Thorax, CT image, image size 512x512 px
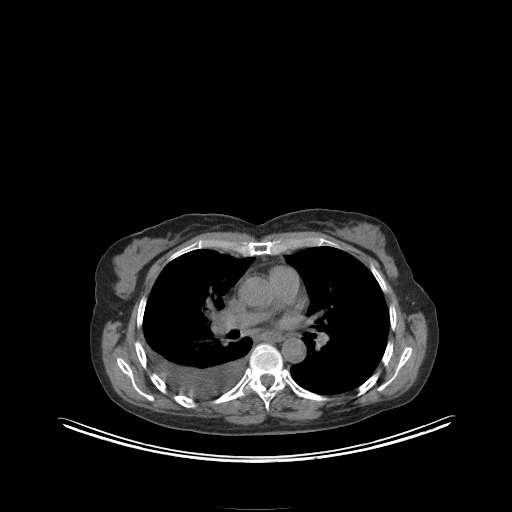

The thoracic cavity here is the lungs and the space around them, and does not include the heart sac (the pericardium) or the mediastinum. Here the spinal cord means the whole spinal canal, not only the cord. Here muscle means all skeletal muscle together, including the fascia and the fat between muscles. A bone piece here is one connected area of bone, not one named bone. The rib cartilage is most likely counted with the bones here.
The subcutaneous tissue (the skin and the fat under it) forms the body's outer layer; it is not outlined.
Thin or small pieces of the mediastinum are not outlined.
The bones appear in 12 outlined pieces: piece 1: (261, 343) (269, 344) (279, 351) (283, 366) (289, 370) (291, 377) (298, 385) (331, 399) (317, 401) (300, 397) (286, 386) (270, 400) (268, 410) (266, 410) (263, 400) (252, 390) (243, 397) (213, 404) (211, 402) (213, 399) (227, 392) (240, 380) (249, 365) (250, 351); inner edge: (264, 374) (268, 374) (269, 375) (271, 375) (273, 377) (273, 382) (269, 386) (265, 386) (262, 383) (262, 382) (261, 381) (261, 380) (260, 379) (260, 378) (261, 377) (261, 376) (262, 375) (263, 375); piece 2: (307, 236) (325, 238) (340, 245) (345, 250) (333, 246) (320, 245) (300, 247) (275, 254) (244, 256) (231, 251) (222, 251) (213, 248) (199, 248) (179, 255) (164, 266) (165, 261) (173, 253) (199, 239) (214, 238) (237, 242) (256, 242) (272, 241) (280, 238) (284, 239); piece 3: (118, 357) (122, 358) (129, 365) (132, 371) (132, 374) (136, 385) (142, 391) (147, 394) (151, 395) (154, 398) (152, 401) (150, 401) (144, 396) (137, 392) (137, 391) (133, 387) (131, 382) (131, 379) (126, 374) (125, 374) (118, 366) (117, 361) (116, 360); piece 4: (408, 346) (412, 348) (412, 351) (411, 352) (410, 356) (405, 362) (405, 363) (399, 369) (398, 373) (395, 377) (395, 378) (382, 390) (379, 391) (377, 389) (378, 387) (381, 384) (388, 380) (393, 375) (395, 371) (395, 369) (399, 362) (399, 359) (403, 350); piece 5: (378, 370) (379, 371) (380, 371) (380, 374) (379, 375) (379, 377) (376, 381) (376, 382) (369, 389) (368, 389) (364, 393) (363, 393) (359, 396) (356, 396) (356, 393) (357, 392) (356, 389) (360, 385) (361, 385) (368, 378) (369, 378) (374, 373) (374, 372) (375, 372); piece 6: (174, 394) (180, 394) (181, 395) (184, 395) (187, 397) (189, 397) (190, 398) (192, 398) (196, 402) (197, 405) (195, 407) (194, 407) (193, 408) (187, 408) (184, 406) (182, 406) (180, 404) (179, 404) (177, 402) (176, 402) (173, 399) (173, 398) (172, 397); piece 7: (136, 340) (139, 340) (140, 341) (145, 351) (145, 353) (146, 354) (146, 357) (147, 358) (147, 367) (146, 369) (145, 369) (142, 366) (141, 363) (138, 359) (138, 357) (136, 353) (136, 350) (135, 349) (135, 345) (134, 344); piece 8: (143, 295) (145, 295) (147, 297) (147, 299) (146, 300) (146, 304) (145, 305) (145, 308) (144, 309) (144, 313) (143, 314) (143, 320) (142, 321) (142, 325) (140, 328) (138, 328) (137, 327) (137, 311) (138, 310) (138, 306) (139, 305) (139, 302) (140, 301) (140, 299); piece 9: (152, 372) (154, 372) (162, 380) (163, 380) (165, 382) (165, 383) (166, 384) (166, 385) (167, 386) (167, 392) (166, 393) (163, 393) (161, 391) (160, 391) (154, 385) (154, 384) (151, 381) (151, 380) (150, 379) (150, 378) (149, 377) (149, 374) (150, 373) (151, 373); piece 10: (370, 263) (372, 263) (374, 265) (376, 269) (378, 270) (381, 276) (383, 278) (385, 282) (386, 287) (387, 288) (387, 291) (385, 293) (384, 293) (382, 291) (377, 280) (375, 278) (372, 272) (370, 270) (369, 268) (369, 264); piece 11: (388, 340) (392, 340) (393, 341) (393, 350) (392, 351) (392, 354) (387, 364) (385, 366) (383, 365) (383, 364) (381, 362) (381, 359) (385, 351) (385, 348) (386, 347) (386, 345) (387, 344) (387, 342); piece 12: (391, 303) (393, 303) (394, 304) (394, 306) (395, 307) (395, 313) (396, 314) (396, 322) (395, 323) (395, 329) (394, 330) (394, 331) (391, 330) (391, 329) (390, 328) (390, 317) (389, 316) (389, 309) (388, 308) (388, 306) (389, 305) (389, 304) (390, 304). The pericardium is outlined by (267, 262) (281, 262) (293, 267) (298, 272) (304, 284) (308, 298) (308, 303) (299, 321) (291, 327) (283, 329) (255, 328) (253, 329) (244, 327) (234, 320) (232, 314) (230, 313) (230, 310) (228, 309) (227, 302) (228, 299) (230, 298) (234, 287) (240, 279) (250, 269). The muscle is outlined by (217, 231) (233, 231) (234, 232) (247, 233) (255, 237) (258, 240) (263, 236) (277, 232) (317, 231) (327, 234) (336, 239) (345, 242) (361, 250) (375, 259) (378, 262) (380, 266) (380, 269) (392, 287) (398, 299) (398, 302) (400, 305) (401, 310) (407, 315) (416, 312) (422, 312) (426, 320) (426, 323) (427, 324) (426, 352) (424, 359) (419, 368) (417, 378) (414, 383) (407, 390) (398, 396) (388, 399) (384, 399) (370, 404) (358, 406) (349, 410) (344, 410) (338, 412) (326, 411) (322, 415) (314, 419) (310, 419) (309, 420) (289, 420) (285, 418) (280, 418) (279, 417) (275, 417) (268, 415) (260, 423) (247, 424) (246, 425) (244, 424) (236, 424) (229, 421) (226, 421) (222, 417) (206, 418) (205, 417) (182, 416) (181, 415) (167, 414) (162, 412) (154, 411) (141, 406) (134, 405) (124, 400) (114, 390) (106, 373) (102, 360) (101, 339) (102, 338) (102, 331) (106, 322) (109, 320) (111, 321) (120, 321) (122, 323) (122, 327) (125, 328) (127, 326) (127, 324) (129, 321) (135, 301) (142, 289) (143, 283) (149, 268) (164, 254) (194, 236) (206, 232) (216, 232) with holes at (307, 236) (340, 245) (368, 268) (372, 263) (385, 282) (383, 296) (388, 306) (394, 304) (396, 322) (387, 334) (392, 354) (385, 366) (380, 361) (376, 366) (376, 382) (359, 396) (355, 388) (331, 394) (329, 401) (297, 396) (286, 386) (268, 410) (252, 390) (217, 404) (195, 399) (193, 408) (176, 402) (169, 387) (160, 391) (149, 377) (154, 370) (148, 361) (146, 369) (142, 366) (134, 343) (146, 345) (137, 327) (138, 306) (165, 261) (199, 239) and at (118, 357) (122, 358) (129, 365) (132, 371) (132, 374) (136, 385) (142, 391) (147, 394) (151, 395) (154, 398) (152, 401) (150, 401) (144, 396) (137, 392) (137, 391) (133, 387) (131, 382) (131, 379) (126, 374) (125, 374) (118, 366) (117, 361) (116, 360) and at (408, 346) (412, 348) (412, 351) (411, 352) (410, 356) (405, 362) (405, 363) (399, 369) (398, 373) (395, 377) (395, 378) (382, 390) (379, 391) (377, 389) (378, 387) (381, 384) (388, 380) (393, 375) (395, 371) (395, 369) (399, 362) (399, 359) (403, 350). The mediastinum appears in 2 outlined pieces: piece 1: (239, 279) (226, 302) (233, 320) (244, 328) (291, 328) (300, 321) (309, 298) (306, 329) (302, 338) (307, 353) (301, 362) (291, 365) (289, 369) (284, 366) (282, 355) (275, 346) (261, 342) (251, 349) (252, 339) (248, 336) (239, 338) (239, 331) (230, 327) (222, 298); piece 2: (300, 248) (305, 248) (295, 253) (286, 254) (284, 256) (287, 263) (285, 263) (281, 261) (267, 261) (266, 262) (263, 262) (250, 268) (243, 275) (248, 267) (254, 261) (254, 258) (253, 256) (258, 256) (259, 255) (275, 255) (276, 254) (283, 253) (290, 250) (295, 250). The torso is outlined by (314, 207) (357, 211) (385, 222) (395, 234) (414, 279) (433, 301) (439, 326) (437, 355) (426, 383) (411, 401) (332, 429) (228, 436) (164, 427) (124, 410) (108, 397) (91, 362) (89, 325) (95, 302) (95, 268) (113, 242) (184, 213) (225, 213) (258, 224) (286, 212). The thoracic cavity appears in 2 outlined pieces: piece 1: (199, 249) (219, 250) (236, 259) (253, 258) (242, 275) (221, 298) (222, 309) (227, 317) (229, 327) (238, 331) (239, 339) (245, 337) (251, 339) (248, 365) (231, 388) (212, 399) (194, 399) (176, 393) (168, 387) (148, 361) (142, 328) (148, 296) (162, 269) (179, 256); piece 2: (320, 246) (345, 251) (369, 269) (383, 293) (389, 317) (387, 341) (373, 373) (356, 388) (330, 395) (304, 388) (295, 381) (290, 372) (291, 366) (301, 363) (308, 353) (303, 338) (307, 329) (307, 310) (310, 298) (303, 278) (296, 268) (287, 262) (285, 256) (306, 248). The spinal cord is outlined by (264, 374) (268, 374) (269, 375) (271, 375) (273, 377) (273, 382) (269, 386) (265, 386) (262, 383) (262, 382) (261, 381) (261, 380) (260, 379) (260, 378) (261, 377) (261, 376) (262, 375) (263, 375).